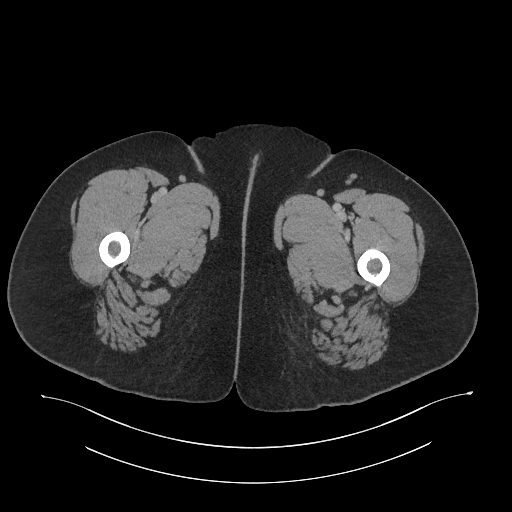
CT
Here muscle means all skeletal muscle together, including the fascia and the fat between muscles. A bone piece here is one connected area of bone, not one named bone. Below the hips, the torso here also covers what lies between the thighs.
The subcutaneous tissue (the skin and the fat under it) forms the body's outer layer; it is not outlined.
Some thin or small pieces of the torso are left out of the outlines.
{"bones":[[[368,248],[376,248],[380,250],[387,256],[389,260],[389,263],[390,264],[390,270],[389,271],[389,274],[380,286],[376,286],[372,283],[365,280],[359,274],[357,270],[357,267],[356,266],[356,262],[358,258],[360,256],[360,255],[365,250],[366,250]],[[116,230],[122,231],[124,233],[125,233],[128,237],[128,239],[130,242],[130,252],[129,253],[128,257],[123,262],[111,268],[107,266],[100,258],[99,252],[98,251],[98,247],[99,246],[99,243],[100,241],[105,235],[112,231],[115,231]]],"torso":[[[246,123],[293,125],[325,141],[330,146],[331,150],[336,153],[314,172],[297,184],[278,194],[260,200],[246,209],[241,210],[233,204],[229,198],[206,176],[195,153],[188,142],[190,142],[198,136],[212,136],[216,132],[222,131],[233,125]]],"left_leg":[[[349,148],[366,150],[387,161],[423,186],[449,214],[462,236],[474,269],[478,294],[475,330],[463,351],[449,364],[364,401],[349,405],[322,406],[308,411],[268,412],[252,409],[241,401],[234,384],[245,270],[244,210],[292,188],[314,173],[337,152]]],"right_leg":[[[151,130],[167,131],[185,140],[205,176],[233,205],[243,211],[244,270],[234,380],[229,393],[214,402],[189,403],[144,397],[109,388],[62,368],[38,355],[23,341],[8,309],[7,282],[12,256],[31,212],[49,184],[67,166],[89,152],[127,136]]],"muscle":[{"outer":[[350,187],[381,189],[402,199],[417,216],[425,239],[425,254],[417,288],[403,304],[390,313],[387,351],[371,365],[353,371],[327,365],[315,358],[307,347],[302,310],[288,274],[286,256],[273,241],[274,215],[279,204],[287,196],[310,193],[326,198]],"hole":[[368,248],[376,248],[380,250],[387,256],[389,260],[389,263],[390,264],[390,270],[389,271],[389,274],[380,286],[376,286],[372,283],[365,280],[359,274],[357,270],[357,267],[356,266],[356,262],[358,258],[360,256],[360,255],[365,250],[366,250]]},{"outer":[[119,166],[153,168],[178,183],[188,181],[203,183],[215,192],[220,202],[218,234],[207,244],[198,271],[173,306],[159,333],[146,347],[132,353],[114,351],[95,335],[94,293],[78,281],[69,265],[72,240],[69,214],[76,194],[90,178]],"hole":[[116,230],[122,231],[124,233],[125,233],[128,237],[128,239],[130,242],[130,252],[129,253],[128,257],[123,262],[111,268],[107,266],[100,258],[99,252],[98,251],[98,247],[99,246],[99,243],[100,241],[105,235],[112,231],[115,231]]}]}